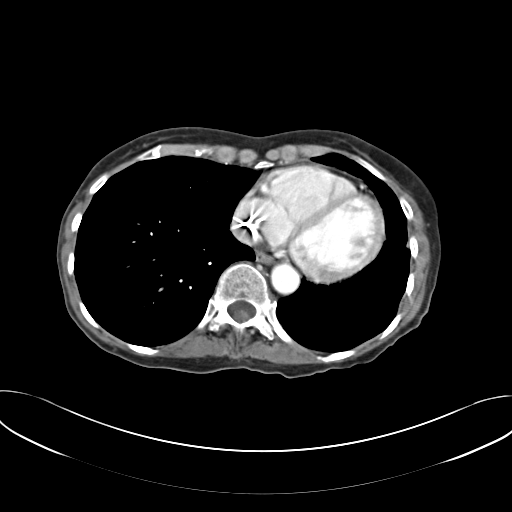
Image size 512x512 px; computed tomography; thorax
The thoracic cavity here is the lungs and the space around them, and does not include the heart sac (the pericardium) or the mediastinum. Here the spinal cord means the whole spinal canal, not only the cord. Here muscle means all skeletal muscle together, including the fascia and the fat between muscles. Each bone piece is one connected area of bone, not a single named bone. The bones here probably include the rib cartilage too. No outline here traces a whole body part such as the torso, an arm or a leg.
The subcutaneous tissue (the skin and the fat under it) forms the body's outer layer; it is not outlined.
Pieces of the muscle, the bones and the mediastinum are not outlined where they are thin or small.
{"spinal_cord":[[[237,301],[243,301],[244,302],[246,302],[247,303],[250,304],[254,308],[254,313],[253,314],[253,315],[248,319],[247,319],[244,321],[242,321],[241,322],[239,322],[238,321],[235,320],[229,313],[229,311],[228,310],[228,307],[231,304],[232,304]]],"muscle":[[[379,170],[409,193],[422,212],[431,260],[424,297],[414,317],[386,341],[360,356],[340,362],[278,364],[250,357],[236,360],[227,356],[210,355],[187,358],[138,355],[98,338],[79,320],[73,310],[61,263],[64,227],[69,213],[82,197],[83,191],[100,175],[88,189],[88,194],[92,196],[87,207],[83,212],[77,211],[71,220],[70,230],[76,233],[76,239],[74,250],[68,253],[66,260],[67,273],[74,276],[80,296],[79,310],[93,327],[104,329],[136,353],[149,356],[159,351],[153,347],[174,342],[194,329],[201,330],[207,326],[214,332],[223,325],[229,325],[238,334],[253,327],[268,340],[272,340],[275,334],[287,344],[296,342],[308,349],[328,353],[318,354],[315,357],[325,363],[348,358],[356,353],[356,347],[372,338],[384,338],[398,325],[403,316],[403,313],[398,311],[400,301],[403,296],[409,298],[411,296],[415,283],[415,273],[410,271],[410,260],[417,258],[419,246],[413,234],[408,236],[407,227],[408,221],[414,219],[414,212],[402,195],[397,196],[387,183],[389,179]],[[286,144],[293,144],[294,145],[295,144],[315,144],[316,145],[321,145],[322,146],[326,146],[327,147],[330,147],[331,148],[336,148],[337,149],[343,149],[344,150],[348,150],[354,153],[348,153],[346,154],[345,153],[342,153],[338,151],[331,150],[326,147],[324,147],[323,146],[319,146],[318,145],[305,145],[304,146],[302,146],[298,148],[294,145],[291,145],[289,144],[288,145],[286,145],[280,151],[276,149],[271,149],[269,150],[266,153],[266,156],[267,158],[263,158],[262,159],[259,159],[257,160],[258,158],[258,154],[254,150],[259,152],[261,154],[263,154],[266,151],[270,149],[272,149],[273,148],[275,148],[276,147],[278,147],[282,145],[285,145]],[[132,157],[133,157],[129,161],[129,163],[130,164],[129,165],[128,165],[127,166],[124,167],[122,169],[117,171],[112,175],[108,172],[104,172],[109,170],[111,168],[114,167],[116,165],[117,165],[118,164],[119,164],[120,163],[121,163]]],"bones":[{"outer":[[239,262],[255,266],[264,276],[269,295],[276,301],[276,317],[294,343],[283,341],[275,333],[272,339],[268,339],[253,326],[246,328],[242,333],[238,333],[229,324],[223,324],[214,331],[207,325],[201,329],[195,328],[206,311],[220,275],[230,265]],"hole":[[237,301],[243,301],[244,302],[246,302],[247,303],[250,304],[254,308],[254,313],[253,314],[253,315],[248,319],[247,319],[244,321],[242,321],[241,322],[239,322],[238,321],[235,320],[229,313],[229,311],[228,310],[228,307],[231,304],[232,304]]},[[162,144],[205,146],[215,151],[221,146],[237,152],[250,149],[257,161],[289,145],[338,152],[311,157],[299,153],[291,162],[278,159],[273,166],[255,169],[237,161],[218,162],[214,153],[200,157],[171,154],[130,163],[138,154]],[[343,154],[345,154],[346,155],[348,154],[354,154],[357,156],[359,156],[361,158],[367,161],[374,167],[375,167],[388,179],[388,181],[386,182],[382,180],[380,178],[377,177],[375,175],[371,173],[367,169],[360,165],[357,162],[351,159],[346,155]],[[354,348],[356,348],[356,350],[354,354],[348,357],[346,357],[339,360],[335,360],[334,361],[329,361],[328,362],[325,362],[318,359],[316,357],[318,355],[323,356],[329,353],[333,353],[334,352],[341,352],[342,351],[345,351],[346,350],[350,350]],[[125,342],[127,342],[128,343],[130,343],[134,345],[139,345],[140,346],[145,346],[146,347],[152,347],[153,348],[157,349],[158,351],[156,353],[152,354],[151,355],[149,355],[148,354],[142,354],[141,353],[136,352],[134,350],[129,348],[125,344]],[[398,312],[400,312],[402,313],[402,316],[400,320],[398,322],[397,325],[387,335],[386,335],[384,337],[382,338],[377,338],[376,337],[374,337],[378,334],[379,334],[382,331],[383,331],[387,327],[387,326],[391,322],[391,321],[394,318],[394,317]],[[104,173],[108,173],[111,175],[108,178],[108,179],[104,183],[104,184],[95,193],[94,193],[92,195],[91,195],[90,194],[89,194],[89,193],[88,192],[89,191],[89,189],[90,188],[90,187],[92,185],[92,184],[102,174],[103,174]],[[399,196],[402,196],[408,202],[408,203],[410,205],[410,206],[412,209],[412,211],[413,212],[413,219],[412,219],[411,220],[407,220],[407,218],[406,217],[406,216],[405,215],[405,214],[401,207],[401,205],[399,202],[399,200],[398,199],[398,197]],[[80,300],[82,301],[83,304],[85,306],[86,309],[88,311],[90,315],[95,320],[95,321],[103,328],[103,329],[101,329],[100,328],[97,328],[93,326],[84,317],[79,307],[79,301]]],"mediastinum":[[[252,248],[265,251],[268,254],[273,255],[277,258],[284,259],[295,267],[304,277],[300,280],[297,289],[289,295],[277,300],[273,299],[270,295],[268,282],[265,276],[255,265],[245,261],[244,261],[239,261],[233,263],[234,262],[243,260],[253,261],[256,257],[254,250]],[[275,162],[278,162],[279,163],[280,162],[285,164],[288,164],[292,162],[297,162],[276,167],[269,171],[267,171],[265,173],[263,173],[259,177],[260,175],[260,171],[258,170],[259,169],[265,169],[266,168],[273,167],[275,165]],[[330,166],[334,166],[336,168],[343,170],[351,175],[358,177],[362,179],[364,183],[360,180],[355,179],[353,177],[351,177],[347,175],[345,173],[343,173],[341,171],[338,171],[336,169],[334,169],[333,167],[330,167]]],"thoracic_cavity":[[[171,155],[202,157],[259,171],[258,177],[237,202],[229,224],[234,237],[249,246],[255,257],[234,261],[221,272],[205,311],[193,329],[174,341],[146,346],[122,340],[91,315],[81,299],[74,275],[74,251],[83,214],[93,195],[111,176],[136,162]],[[332,152],[357,163],[385,182],[396,195],[407,221],[406,246],[410,259],[397,312],[386,327],[353,348],[326,352],[308,348],[291,337],[277,317],[277,301],[293,294],[303,278],[322,284],[349,278],[376,257],[386,239],[383,210],[364,180],[311,159]]],"pericardium":[[[307,161],[329,166],[338,172],[360,181],[373,194],[382,210],[385,239],[378,253],[361,269],[340,281],[322,283],[309,280],[284,258],[277,257],[265,250],[252,247],[240,241],[235,237],[230,229],[230,224],[238,202],[256,180],[263,174],[276,168]]]}